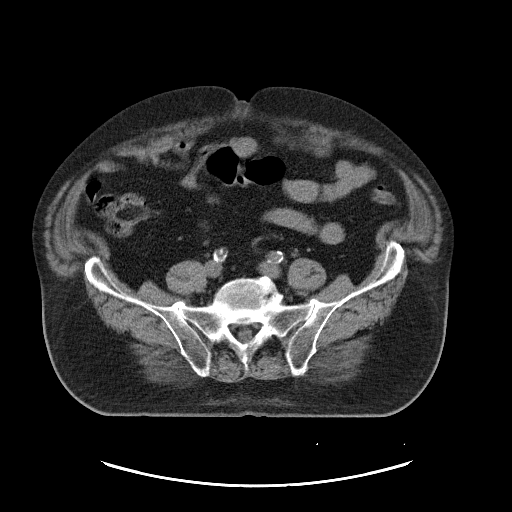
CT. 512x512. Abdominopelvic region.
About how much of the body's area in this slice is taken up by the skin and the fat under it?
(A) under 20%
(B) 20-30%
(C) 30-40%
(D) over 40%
(C) 30-40%
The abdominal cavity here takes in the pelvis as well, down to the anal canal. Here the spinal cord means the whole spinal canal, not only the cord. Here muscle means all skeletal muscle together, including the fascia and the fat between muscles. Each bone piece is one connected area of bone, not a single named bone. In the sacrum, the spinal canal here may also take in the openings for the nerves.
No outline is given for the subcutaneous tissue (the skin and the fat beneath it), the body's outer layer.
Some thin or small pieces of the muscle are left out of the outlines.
{"spinal_cord":[[[257,324],[259,324],[260,325],[260,328],[258,330],[258,331],[256,333],[255,333],[254,334],[254,335],[248,341],[247,341],[246,342],[241,342],[237,338],[237,337],[234,334],[234,332],[231,329],[231,327],[232,326],[251,326],[252,325],[256,325]]],"muscle":[[[238,114],[300,118],[361,137],[410,166],[437,201],[443,227],[438,259],[417,262],[407,275],[362,371],[353,379],[336,385],[302,377],[218,381],[207,377],[212,353],[201,335],[212,343],[227,342],[245,372],[250,353],[273,336],[287,337],[285,361],[290,374],[300,377],[308,370],[317,340],[333,312],[401,272],[405,250],[389,239],[379,276],[339,299],[311,297],[306,302],[307,297],[288,284],[292,262],[308,258],[325,270],[325,286],[339,274],[358,285],[380,251],[375,240],[378,229],[386,222],[410,219],[400,175],[388,162],[363,149],[309,141],[269,122],[244,120],[191,136],[141,141],[86,178],[74,223],[104,240],[110,267],[131,289],[136,291],[149,280],[173,294],[165,278],[170,267],[185,260],[203,266],[205,288],[194,291],[189,304],[179,299],[160,305],[118,289],[98,255],[83,263],[84,275],[96,289],[140,306],[163,321],[180,354],[201,377],[190,385],[168,387],[144,378],[125,346],[100,319],[81,278],[63,279],[48,264],[42,222],[48,204],[66,180],[110,147],[151,128]]],"bones":[{"outer":[[389,240],[404,250],[400,272],[332,312],[300,376],[286,361],[287,336],[250,352],[245,371],[227,341],[201,334],[211,353],[202,377],[159,316],[84,272],[98,256],[118,290],[160,306],[206,306],[224,283],[260,276],[284,304],[331,302],[380,276]],"hole":[[257,324],[259,324],[260,325],[260,328],[258,330],[258,331],[256,333],[255,333],[254,334],[254,335],[248,341],[247,341],[246,342],[241,342],[237,338],[237,337],[234,334],[234,332],[231,329],[231,327],[232,326],[251,326],[252,325],[256,325]]}],"torso":[[[196,84],[222,85],[244,99],[268,85],[301,86],[341,97],[389,126],[433,174],[448,201],[455,228],[445,338],[432,377],[403,409],[384,417],[110,416],[80,403],[59,380],[44,339],[31,245],[32,219],[40,195],[65,157],[113,114],[155,93]]],"abdominal_cavity":[[[244,121],[379,157],[409,219],[377,229],[358,284],[339,273],[325,285],[318,261],[294,259],[287,284],[305,302],[284,303],[260,275],[190,305],[208,282],[195,259],[168,268],[173,293],[149,279],[134,290],[105,240],[75,223],[87,178],[141,142]]]}